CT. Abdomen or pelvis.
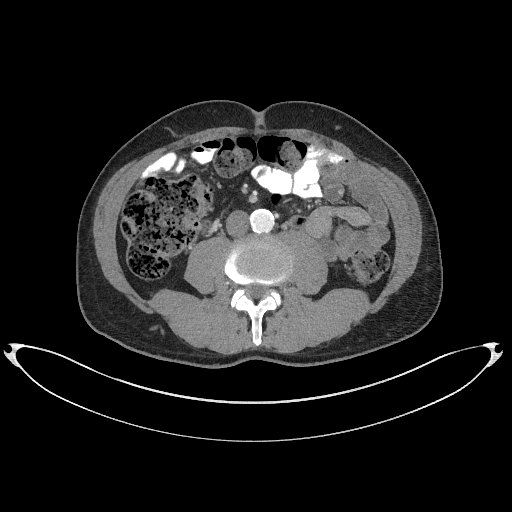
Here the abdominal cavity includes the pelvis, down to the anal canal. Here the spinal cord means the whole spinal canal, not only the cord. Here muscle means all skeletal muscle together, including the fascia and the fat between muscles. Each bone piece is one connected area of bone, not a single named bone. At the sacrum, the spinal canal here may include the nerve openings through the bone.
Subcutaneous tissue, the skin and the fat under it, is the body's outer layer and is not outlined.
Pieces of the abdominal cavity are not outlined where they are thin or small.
{"abdominal_cavity":[[[370,301],[391,269],[391,216],[367,174],[325,147],[278,133],[242,133],[174,150],[143,169],[121,204],[118,257],[144,298],[163,287],[200,295],[183,275],[189,253],[203,239],[273,239],[298,230],[318,244],[328,267],[320,294],[347,286],[362,289]]],"bones":[{"outer":[[255,345],[261,343],[263,314],[267,310],[275,309],[281,303],[280,294],[275,286],[285,280],[289,272],[287,256],[278,242],[271,239],[238,240],[232,246],[224,264],[225,274],[238,286],[233,292],[230,305],[248,313],[251,319],[252,341]],"hole":[[256,301],[263,297],[268,287],[265,285],[261,285],[260,284],[249,284],[248,285],[246,285],[244,286],[244,287],[246,289],[246,292],[245,293],[246,295],[248,297],[250,298],[252,298]]}],"torso":[[[208,369],[251,359],[297,367],[342,361],[403,341],[434,316],[443,290],[443,267],[429,198],[404,157],[346,112],[306,100],[278,101],[260,110],[230,99],[190,103],[161,116],[126,141],[90,187],[79,214],[75,251],[77,299],[85,321],[128,350]]],"muscle":[{"outer":[[223,355],[229,355],[250,349],[251,350],[255,349],[267,350],[290,355],[300,354],[306,351],[322,347],[330,343],[333,340],[343,336],[354,326],[359,324],[361,320],[367,315],[373,314],[379,311],[387,303],[389,298],[412,275],[415,270],[421,251],[421,244],[422,243],[422,221],[421,220],[421,215],[417,203],[417,200],[415,198],[411,189],[405,181],[386,167],[380,165],[363,155],[354,152],[348,146],[336,139],[331,138],[326,135],[310,129],[289,128],[288,127],[284,127],[280,129],[268,129],[267,128],[261,128],[258,126],[255,126],[251,129],[239,126],[210,127],[197,131],[186,137],[176,139],[166,145],[154,149],[152,151],[150,151],[136,159],[133,159],[129,161],[119,168],[109,178],[101,190],[97,200],[93,216],[93,223],[92,224],[93,243],[95,248],[96,257],[100,264],[100,267],[104,277],[114,288],[121,292],[137,308],[148,314],[152,314],[153,313],[159,314],[164,321],[166,322],[172,332],[180,338],[183,342],[187,343],[195,348],[203,349],[211,352],[217,352]],"hole":[[255,345],[289,272],[274,235],[298,230],[318,244],[328,267],[320,294],[347,286],[373,301],[394,252],[367,174],[278,133],[156,158],[116,225],[120,264],[144,298],[163,287],[200,295],[183,278],[189,253],[218,234],[231,240],[230,305],[248,313]]}],"spinal_cord":[[[256,301],[263,297],[268,287],[265,285],[261,285],[260,284],[249,284],[248,285],[246,285],[244,286],[244,287],[246,289],[246,292],[245,293],[246,295],[248,297],[250,298],[252,298]]]}